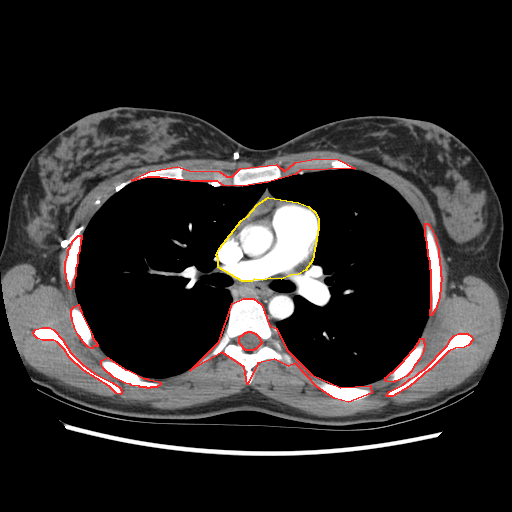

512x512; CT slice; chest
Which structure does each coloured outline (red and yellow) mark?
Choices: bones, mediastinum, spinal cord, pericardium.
red: bones; yellow: pericardium.
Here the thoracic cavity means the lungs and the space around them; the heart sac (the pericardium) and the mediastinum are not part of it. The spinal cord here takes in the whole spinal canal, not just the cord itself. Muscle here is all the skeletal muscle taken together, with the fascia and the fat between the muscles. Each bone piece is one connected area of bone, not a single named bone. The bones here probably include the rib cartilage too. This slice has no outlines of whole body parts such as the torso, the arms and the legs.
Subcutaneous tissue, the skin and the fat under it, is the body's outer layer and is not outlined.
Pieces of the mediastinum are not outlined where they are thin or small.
bones 1: 243,298 253,298 261,304 269,325 276,328 286,349 311,374 340,387 370,385 371,393 348,402 334,398 317,387 295,363 288,366 274,359 257,363 247,384 244,367 222,352 190,370 219,341 232,303, around a hole outlined by 248,331 250,331 251,332 253,332 254,333 255,333 259,337 259,338 261,341 261,343 255,349 254,349 253,350 246,350 245,349 244,349 243,348 243,347 239,343 239,337 241,335 242,335 245,332 247,332
bones 2: 316,158 338,159 355,168 300,170 295,174 267,182 242,186 223,185 217,181 191,181 159,177 147,177 132,181 132,179 149,171 177,166 189,170 219,171 226,176 232,176 240,168 276,164 284,171 295,162
bones 3: 425,223 427,223 429,225 435,237 435,240 438,249 438,256 439,257 439,264 440,265 440,275 441,276 439,297 435,309 431,315 430,315 430,309 431,308 431,270 430,269 430,261 428,255 427,242 425,235
bones 4: 458,333 467,333 471,336 472,340 468,345 464,347 455,348 448,351 430,369 429,369 409,386 392,396 387,396 386,395 389,391 403,384 410,378 416,375 419,372 424,369 447,345 451,338 454,335
bones 5: 107,357 125,369 129,370 144,378 147,378 148,379 158,381 160,382 160,384 156,387 150,387 149,388 147,388 146,387 140,387 139,386 131,385 130,384 125,383 113,377 103,368 101,364 101,360
bones 6: 42,327 49,327 53,329 62,339 70,352 82,364 94,373 112,382 119,387 121,390 121,393 120,394 116,393 109,386 83,370 69,357 64,349 57,342 53,340 42,340 37,338 34,335 33,332 35,329
bones 7: 420,338 423,338 423,342 424,343 423,351 419,359 414,365 410,372 406,376 396,381 394,381 393,382 386,381 385,380 385,377 386,377 391,372 392,372 404,360 404,359 415,347 415,346 419,341
bones 8: 78,304 79,306 79,308 81,311 81,313 92,335 92,337 97,344 97,346 93,346 92,348 90,348 88,347 82,341 82,340 78,335 74,327 74,325 72,321 72,318 71,317 71,309 74,306
bones 9: 78,235 81,235 81,239 80,240 79,250 77,255 77,262 75,268 75,275 73,280 73,287 70,289 68,286 68,283 66,278 66,274 65,273 65,262 68,254 68,249 70,247 71,243 73,240
pericardium: 268,197 298,202 308,206 315,212 318,219 318,228 312,260 305,270 298,274 290,275 281,279 270,278 262,280 254,279 251,281 242,281 218,267 218,258 216,255 219,248 241,220 247,216 257,204
thoracic cavity: 344,169 394,188 425,236 429,315 386,376 332,384 283,343 276,326 295,311 319,219 266,187 216,252 213,272 230,279 232,302 207,353 181,373 148,378 98,345 74,280 83,232 114,193 147,178 242,187
mediastinum 1: 216,267 242,282 270,279 281,280 298,275 304,271 299,293 293,298 295,306 293,313 289,317 280,320 275,327 272,327 262,304 257,299 243,297 233,301 230,291 224,287 231,283 231,279 224,274 214,272
mediastinum 2: 266,188 268,190 269,193 271,195 275,197 271,197 270,196 268,196 267,197 263,198 258,203 257,203 250,210 250,211 247,214 247,215 246,215 246,214 250,210 250,209 260,198 260,197 262,195
muscle: 314,150 335,151 372,162 416,185 434,212 449,268 448,280 457,285 466,275 474,275 497,293 501,308 497,341 489,359 465,381 405,406 349,416 310,414 250,386 206,403 161,409 109,400 60,384 22,360 4,303 1,281 5,272 16,264 29,263 48,278 58,277 61,238 76,208 95,185 110,175 134,166 208,158 247,161 253,166 237,168 232,175 182,165 141,173 114,192 93,214 82,234 70,243 64,273 67,286 70,290 74,287 77,299 70,309 71,321 88,348 98,346 105,354 100,360 102,368 125,384 149,389 161,384 152,379 192,371 222,353 243,367 243,380 249,385 253,368 264,360 274,360 288,367 295,364 317,388 347,403 369,396 370,384 374,382 384,378 393,383 406,377 424,351 421,335 440,297 442,276 435,234 427,222 424,231 413,208 394,187 341,159 304,159 284,170 276,163 259,165 277,155 with holes at 458,333 467,333 471,336 472,340 468,345 464,347 455,348 448,351 430,369 429,369 409,386 392,396 387,396 386,395 389,391 403,384 410,378 416,375 419,372 424,369 447,345 451,338 454,335 and at 42,327 49,327 53,329 62,339 70,352 82,364 94,373 112,382 119,387 121,390 121,393 120,394 116,393 109,386 83,370 69,357 64,349 57,342 53,340 42,340 37,338 34,335 33,332 35,329
spinal cord: 248,331 250,331 251,332 253,332 254,333 255,333 259,337 259,338 261,341 261,343 255,349 254,349 253,350 246,350 245,349 244,349 243,348 243,347 239,343 239,337 241,335 242,335 245,332 247,332